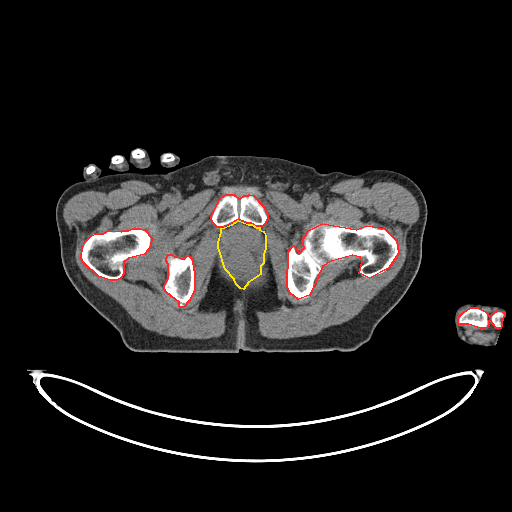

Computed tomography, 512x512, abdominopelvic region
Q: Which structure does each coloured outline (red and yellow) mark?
A: red: bones; yellow: abdominal cavity.
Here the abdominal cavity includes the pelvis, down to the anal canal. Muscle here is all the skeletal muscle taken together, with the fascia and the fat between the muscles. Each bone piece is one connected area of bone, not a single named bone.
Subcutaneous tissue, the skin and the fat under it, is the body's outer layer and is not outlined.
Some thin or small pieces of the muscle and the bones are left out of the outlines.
The bones appear in 5 outlined pieces: piece 1: [[322,223],[356,229],[366,225],[384,228],[396,240],[398,253],[388,268],[369,278],[359,273],[362,261],[360,257],[352,255],[331,261],[322,266],[309,295],[298,299],[290,293],[287,286],[288,251],[293,245],[299,253],[304,247],[302,240],[308,230]]; piece 2: [[132,228],[140,228],[145,230],[151,237],[150,246],[144,254],[128,258],[123,262],[123,274],[120,278],[116,280],[110,280],[98,276],[83,262],[81,257],[82,247],[85,241],[91,235],[96,233],[103,233],[108,230],[121,231],[122,230],[128,230]]; piece 3: [[226,194],[233,194],[238,198],[240,198],[244,195],[248,195],[249,194],[253,195],[263,206],[267,215],[267,219],[264,224],[261,226],[256,226],[251,223],[248,223],[238,219],[227,225],[221,227],[217,227],[212,222],[211,216],[220,198]]; piece 4: [[168,254],[171,254],[174,256],[177,256],[181,258],[183,258],[188,255],[191,258],[192,261],[193,269],[194,270],[194,289],[189,300],[183,307],[180,307],[179,306],[179,302],[166,292],[164,289],[164,285],[168,278],[168,264],[166,261],[166,257]]; piece 5: [[471,307],[477,307],[485,311],[489,316],[497,310],[502,311],[504,313],[504,316],[501,320],[501,326],[500,328],[496,328],[490,320],[488,321],[488,325],[487,327],[485,328],[480,328],[468,324],[459,324],[458,323],[458,318],[459,316],[464,311]]. The abdominal cavity is outlined by [[238,220],[248,224],[251,224],[256,227],[259,227],[259,229],[263,231],[265,235],[265,248],[263,254],[263,263],[260,266],[260,274],[248,282],[243,289],[240,288],[236,284],[234,279],[225,269],[218,247],[218,242],[221,232],[221,228],[232,224]]. The left arm is outlined by [[466,303],[480,303],[481,304],[496,305],[497,306],[500,306],[504,309],[504,316],[501,320],[501,326],[499,329],[499,335],[497,338],[496,344],[491,346],[468,344],[458,337],[456,331],[455,323],[454,322],[454,316],[456,310],[461,305]]. The torso is outlined by [[210,155],[277,157],[311,166],[321,173],[357,174],[387,169],[406,175],[419,186],[427,204],[419,269],[403,297],[367,342],[348,352],[136,352],[126,347],[114,327],[78,293],[61,261],[55,219],[61,193],[75,182],[116,173],[164,174]]. The right arm appears in 3 outlined pieces: piece 1: [[140,148],[145,149],[149,155],[151,161],[149,166],[144,168],[139,168],[130,164],[128,168],[128,171],[130,172],[123,172],[122,173],[119,173],[108,167],[108,165],[111,162],[112,158],[114,156],[118,155],[127,159],[131,156],[131,153],[133,150]]; piece 2: [[91,163],[92,163],[93,164],[95,164],[100,168],[100,169],[101,170],[101,172],[100,173],[100,174],[101,175],[100,175],[93,179],[84,179],[83,178],[83,174],[82,173],[83,172],[83,168],[86,165],[87,165],[88,164],[90,164]]; piece 3: [[164,153],[171,153],[172,154],[175,154],[176,155],[177,155],[180,158],[180,161],[176,165],[175,165],[174,166],[172,166],[171,167],[164,167],[163,166],[162,166],[160,163],[161,162],[161,160],[160,159],[160,158],[161,157],[162,154],[163,154]]. The muscle appears in 2 outlined pieces: piece 1: [[377,177],[404,185],[419,206],[419,217],[407,235],[402,267],[353,318],[317,334],[293,338],[267,338],[258,331],[256,311],[271,311],[281,304],[270,265],[267,284],[248,295],[241,317],[233,309],[243,297],[212,268],[199,307],[225,312],[226,329],[218,337],[173,337],[142,327],[82,273],[74,257],[76,238],[63,218],[63,208],[73,195],[123,180],[140,180],[184,198],[204,189],[239,184],[293,198],[341,180]]; inner edges: [[322,223],[356,229],[366,225],[384,228],[396,240],[398,253],[388,268],[369,278],[359,273],[362,261],[360,257],[352,255],[331,261],[322,266],[309,295],[298,299],[290,293],[287,286],[288,251],[293,245],[299,253],[304,247],[302,240],[308,230]], then [[226,194],[233,194],[238,198],[244,195],[253,195],[263,206],[267,215],[266,221],[259,227],[265,235],[265,248],[263,263],[260,266],[260,274],[248,282],[243,289],[236,284],[225,269],[218,247],[221,228],[217,227],[211,220],[212,213],[218,201]], then [[132,228],[140,228],[145,230],[151,237],[150,246],[144,254],[128,258],[123,262],[123,274],[120,278],[116,280],[110,280],[98,276],[83,262],[81,257],[82,247],[85,241],[91,235],[96,233],[103,233],[108,230],[121,231],[122,230],[128,230]], then [[168,254],[171,254],[174,256],[177,256],[181,258],[183,258],[188,255],[191,258],[192,261],[193,269],[194,270],[194,289],[189,300],[183,307],[180,307],[179,306],[179,302],[166,292],[164,289],[164,285],[168,278],[168,264],[166,261],[166,257]]; piece 2: [[489,321],[490,321],[492,325],[496,329],[499,329],[499,335],[495,340],[489,341],[488,342],[470,342],[466,338],[465,338],[464,336],[463,336],[459,328],[459,325],[468,325],[469,326],[476,327],[480,329],[485,329],[488,327],[489,325]].